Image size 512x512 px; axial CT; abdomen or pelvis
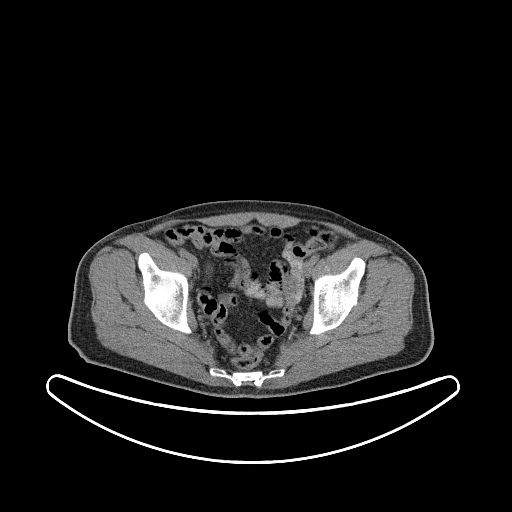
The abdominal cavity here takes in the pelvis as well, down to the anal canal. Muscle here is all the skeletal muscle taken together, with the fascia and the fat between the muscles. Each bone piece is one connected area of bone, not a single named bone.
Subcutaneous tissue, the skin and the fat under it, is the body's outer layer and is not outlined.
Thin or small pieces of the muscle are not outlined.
{"abdominal_cavity":[[[253,219],[264,225],[282,227],[300,223],[320,224],[352,241],[318,259],[311,267],[311,302],[295,338],[281,344],[272,363],[263,369],[232,370],[220,363],[215,357],[214,345],[197,332],[189,296],[190,264],[151,236],[182,222],[221,226],[241,225]]],"bones":[[[142,252],[147,252],[160,269],[167,271],[177,271],[182,273],[187,278],[188,280],[188,300],[186,307],[186,313],[187,314],[187,322],[191,329],[191,333],[185,333],[173,329],[163,324],[157,319],[144,303],[143,280],[141,272],[137,265],[138,256]],[[354,257],[360,257],[365,261],[365,271],[359,284],[357,303],[352,307],[346,317],[338,326],[319,334],[310,334],[309,331],[313,321],[313,303],[312,302],[312,299],[313,298],[314,280],[319,276],[324,274],[338,274],[340,273],[348,266],[351,260]],[[211,367],[223,368],[228,372],[253,370],[261,370],[263,372],[267,372],[271,369],[283,368],[285,372],[280,377],[266,378],[263,381],[261,386],[259,387],[255,386],[251,380],[243,381],[241,385],[236,386],[228,378],[212,376],[209,372],[209,368]]],"muscle":[[[249,211],[337,224],[402,258],[414,275],[413,323],[404,348],[395,355],[295,385],[258,388],[266,379],[285,374],[283,367],[262,370],[273,363],[282,344],[296,338],[311,303],[310,335],[332,330],[344,321],[358,303],[366,261],[354,256],[340,272],[324,273],[313,279],[311,270],[318,260],[353,241],[320,223],[282,226],[264,224],[255,218],[241,224],[221,225],[182,221],[150,236],[189,264],[189,285],[182,272],[160,268],[147,251],[140,252],[136,259],[145,306],[163,325],[191,334],[189,297],[196,332],[213,345],[214,357],[223,367],[211,366],[209,374],[228,379],[235,387],[208,385],[103,346],[91,317],[88,278],[90,264],[100,249],[118,238],[170,219]]],"torso":[[[231,199],[291,201],[323,207],[382,233],[405,248],[421,265],[427,280],[434,334],[433,347],[429,355],[417,365],[343,386],[268,398],[210,396],[86,362],[69,344],[67,339],[67,325],[72,304],[75,272],[85,251],[102,237],[127,224],[193,204]]]}